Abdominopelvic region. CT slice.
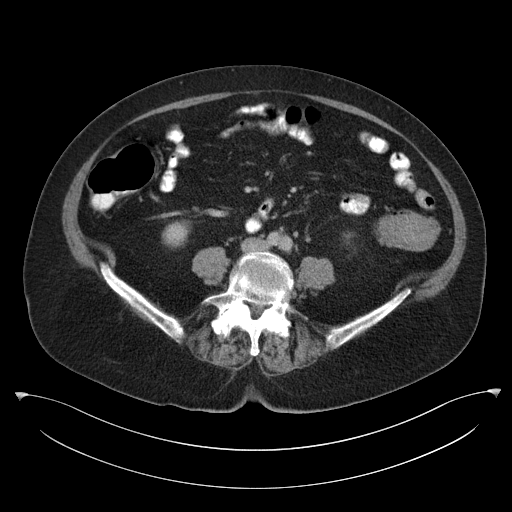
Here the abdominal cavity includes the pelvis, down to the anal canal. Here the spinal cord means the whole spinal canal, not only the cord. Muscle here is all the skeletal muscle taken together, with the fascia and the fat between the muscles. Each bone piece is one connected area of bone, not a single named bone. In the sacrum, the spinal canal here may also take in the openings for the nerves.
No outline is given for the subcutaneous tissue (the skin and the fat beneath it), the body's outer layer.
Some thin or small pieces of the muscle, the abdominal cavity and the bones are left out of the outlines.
{"torso":[[[239,64],[292,65],[362,84],[420,119],[458,161],[482,210],[487,260],[477,327],[449,364],[407,386],[340,408],[282,413],[246,403],[216,413],[117,392],[56,362],[38,343],[23,291],[23,258],[38,198],[63,150],[94,117],[138,89],[186,72]]],"bones":[{"outer":[[254,251],[274,253],[288,264],[294,281],[289,302],[298,312],[287,315],[291,322],[287,337],[264,329],[258,338],[259,352],[252,356],[249,353],[251,340],[248,333],[236,326],[228,337],[216,334],[211,321],[218,309],[200,302],[225,291],[236,261]],"hole":[[249,304],[254,304],[255,305],[263,305],[264,306],[266,306],[263,309],[263,310],[262,311],[262,312],[260,314],[260,315],[258,317],[257,317],[256,318],[253,318],[252,317],[252,316],[251,315],[251,310],[250,309],[250,305]]},[[101,261],[106,262],[111,269],[120,278],[139,291],[158,309],[174,317],[180,323],[184,330],[184,336],[180,340],[181,341],[180,343],[178,343],[175,341],[150,321],[145,315],[132,307],[125,299],[116,293],[106,283],[100,271],[100,265],[99,264]],[[406,287],[409,287],[411,289],[411,292],[397,307],[381,320],[377,322],[374,325],[358,333],[352,338],[335,349],[331,349],[326,345],[325,337],[332,328],[341,326],[349,322],[356,317],[369,312],[371,310],[381,305],[396,294],[400,293],[401,291]]],"spinal_cord":[[[249,304],[254,304],[255,305],[263,305],[264,306],[266,306],[263,309],[263,310],[262,311],[262,312],[260,314],[260,315],[258,317],[257,317],[256,318],[253,318],[252,317],[252,316],[251,315],[251,310],[250,309],[250,305]]],"abdominal_cavity":[{"outer":[[260,93],[357,115],[409,144],[450,206],[453,243],[441,265],[405,276],[390,298],[334,324],[299,308],[335,282],[327,257],[302,257],[294,280],[278,254],[248,251],[225,290],[179,315],[120,277],[112,248],[78,221],[84,182],[102,149],[152,115]],"hole":[[213,246],[219,246],[223,248],[225,250],[225,253],[227,257],[229,258],[230,262],[227,266],[227,269],[223,276],[223,278],[218,284],[207,284],[204,282],[202,278],[199,277],[192,270],[191,268],[192,266],[192,259],[198,251],[204,248],[212,247]]}],"muscle":[[[306,256],[327,258],[335,280],[316,295],[299,301],[301,316],[327,325],[343,324],[332,327],[324,337],[325,345],[333,350],[308,368],[276,379],[264,375],[254,361],[235,371],[211,366],[179,344],[185,330],[169,314],[179,316],[198,304],[217,309],[210,321],[216,335],[228,338],[236,327],[246,332],[252,357],[260,352],[259,338],[264,330],[287,338],[292,325],[288,315],[299,312],[290,302],[290,293],[296,270]],[[270,88],[319,95],[351,104],[367,111],[407,136],[440,170],[450,183],[460,204],[466,225],[466,244],[454,275],[445,288],[437,295],[424,301],[410,303],[375,325],[397,308],[412,292],[412,289],[406,286],[394,295],[395,285],[409,275],[426,274],[437,269],[446,260],[453,247],[454,221],[451,206],[428,164],[399,135],[365,117],[304,96],[281,92],[234,94],[152,114],[118,132],[101,149],[91,164],[83,182],[77,208],[79,227],[88,238],[107,244],[113,252],[115,272],[104,260],[101,260],[98,264],[105,283],[154,325],[132,314],[91,270],[78,264],[71,254],[63,232],[61,220],[63,201],[74,176],[82,164],[114,130],[142,113],[188,97],[217,92]],[[213,246],[219,246],[223,248],[225,250],[225,253],[227,257],[229,258],[230,262],[227,266],[227,269],[223,276],[223,278],[218,284],[207,284],[204,282],[202,278],[199,277],[192,270],[191,268],[192,266],[192,259],[198,251],[204,248],[212,247]],[[373,326],[374,326],[373,327],[372,327],[370,329],[369,329],[364,334],[363,334],[362,335],[361,335],[354,339],[352,339],[351,340],[350,340],[351,339],[352,339],[355,336],[356,336],[358,334],[361,333],[363,331],[364,331],[365,330],[366,330]]]}